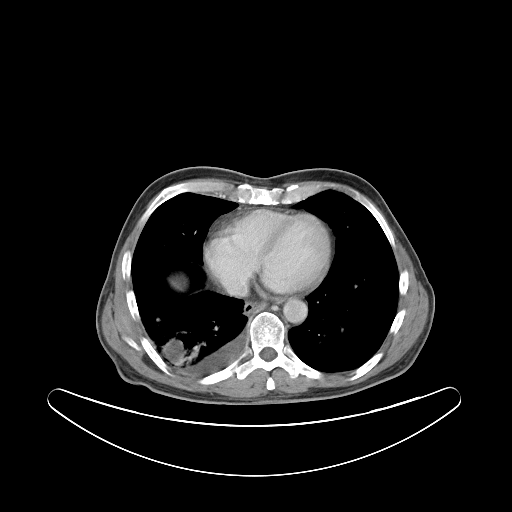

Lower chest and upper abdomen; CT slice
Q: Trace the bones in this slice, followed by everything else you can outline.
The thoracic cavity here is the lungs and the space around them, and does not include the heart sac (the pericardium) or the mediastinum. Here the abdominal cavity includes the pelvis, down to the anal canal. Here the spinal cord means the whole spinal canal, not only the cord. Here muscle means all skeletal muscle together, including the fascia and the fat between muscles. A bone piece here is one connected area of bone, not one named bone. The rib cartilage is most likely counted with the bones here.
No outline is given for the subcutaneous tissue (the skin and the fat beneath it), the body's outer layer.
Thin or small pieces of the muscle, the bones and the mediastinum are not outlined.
A: Outlined structures:
bones 1: 263 311; 275 314; 282 321; 292 350; 307 365; 322 372; 322 378; 308 378; 303 374; 291 378; 286 370; 277 366; 269 372; 256 368; 243 379; 238 379; 234 374; 215 383; 199 383; 199 379; 225 368; 244 351; 250 343; 247 322, around a hole outlined by 266 347; 269 347; 270 348; 272 348; 276 352; 276 356; 275 357; 274 357; 272 359; 271 359; 270 360; 265 360; 263 358; 262 358; 260 356; 260 352; 264 348; 265 348
bones 2: 191 180; 221 181; 230 186; 248 183; 268 189; 286 187; 292 183; 301 186; 317 183; 333 186; 294 203; 275 205; 237 202; 236 197; 216 192; 208 194; 186 191; 161 203; 150 214; 141 230; 138 224; 139 219; 156 195; 167 186
bones 3: 352 189; 357 190; 362 195; 369 200; 376 207; 376 208; 383 216; 389 228; 392 232; 393 238; 394 239; 394 242; 395 243; 395 248; 394 249; 392 248; 381 226; 374 216; 362 204; 352 197; 352 193; 351 192; 351 190
bones 4: 124 336; 127 336; 131 338; 140 347; 141 346; 140 338; 142 336; 148 337; 151 342; 151 344; 161 356; 163 360; 168 365; 168 369; 172 373; 173 376; 171 376; 161 370; 150 358; 142 347; 139 350; 137 350; 129 345; 123 339
bones 5: 378 351; 382 351; 383 352; 383 355; 381 357; 381 358; 379 360; 379 361; 371 369; 370 369; 363 375; 362 375; 353 380; 347 380; 347 378; 352 375; 352 372; 355 369; 356 369; 358 367; 359 367; 361 365; 362 365
bones 6: 130 289; 132 289; 133 290; 133 292; 135 296; 135 300; 136 301; 137 308; 138 309; 138 312; 139 313; 141 321; 134 320; 132 318; 131 314; 130 313; 130 311; 128 308; 128 305; 127 304; 127 300; 126 299; 126 291
bones 7: 127 250; 129 250; 132 252; 132 256; 131 257; 131 263; 130 264; 130 279; 129 280; 126 280; 123 278; 123 277; 122 276; 122 271; 121 270; 121 264; 122 263; 122 259; 123 258; 123 255; 124 254; 125 251; 126 251
bones 8: 402 308; 404 308; 405 309; 405 314; 404 315; 404 317; 403 318; 403 320; 402 321; 402 323; 400 327; 398 329; 397 332; 395 334; 393 334; 392 333; 390 334; 388 334; 389 329; 392 324; 392 322; 396 315; 396 313; 397 311
bones 9: 404 269; 406 269; 407 270; 407 271; 408 272; 408 286; 407 287; 407 290; 406 291; 406 293; 404 295; 399 295; 399 273; 400 272; 400 271; 401 271; 402 270; 403 270
muscle 1: 364 195; 384 214; 405 248; 416 278; 428 295; 427 319; 417 340; 399 360; 375 375; 356 384; 314 387; 300 394; 288 395; 273 391; 276 385; 269 374; 265 382; 265 388; 269 391; 266 394; 238 401; 150 379; 136 371; 106 341; 101 325; 103 307; 109 293; 114 291; 114 273; 119 252; 141 214; 137 222; 140 232; 133 251; 124 251; 120 270; 124 280; 131 279; 132 288; 125 291; 130 316; 134 321; 142 323; 147 336; 139 338; 140 346; 127 335; 122 339; 137 351; 142 348; 165 374; 174 376; 169 369; 171 366; 185 376; 200 378; 197 382; 201 385; 215 384; 234 375; 238 380; 243 380; 259 368; 268 373; 277 367; 282 368; 291 379; 303 375; 308 379; 320 380; 324 376; 323 372; 352 370; 347 381; 363 376; 384 355; 382 350; 378 350; 386 336; 395 335; 401 327; 406 309; 398 309; 398 300; 399 296; 407 293; 409 286; 408 270; 404 268; 399 272; 398 269; 393 251; 396 248; 393 232; 381 212
muscle 2: 302 181; 327 181; 328 182; 334 182; 335 183; 340 183; 341 184; 345 184; 353 188; 352 188; 350 190; 351 196; 345 193; 343 191; 337 190; 336 189; 332 189; 331 188; 328 188; 330 187; 333 187; 334 186; 333 184; 329 184; 328 185; 327 184; 323 184; 320 182; 317 182; 316 183; 310 183; 309 184; 302 184; 301 185; 297 183; 297 182; 301 182
muscle 3: 154 196; 155 196; 149 202; 149 203; 147 205; 147 206; 145 208; 145 209; 144 210; 144 208; 145 207; 145 206; 148 203; 148 202
spinal cord: 266 347; 269 347; 270 348; 272 348; 276 352; 276 356; 275 357; 274 357; 272 359; 271 359; 270 360; 265 360; 263 358; 262 358; 260 356; 260 352; 264 348; 265 348
abdominal cavity: 174 270; 181 270; 182 271; 185 272; 185 273; 186 274; 187 274; 190 278; 190 286; 189 287; 189 289; 185 293; 177 293; 176 292; 174 292; 171 289; 170 289; 170 288; 167 285; 167 284; 166 283; 166 281; 165 280; 166 275
torso: 190 166; 215 166; 257 177; 306 168; 335 168; 354 173; 373 185; 417 253; 435 295; 432 325; 412 365; 394 378; 350 395; 268 405; 197 403; 124 381; 102 347; 95 327; 96 305; 111 254; 123 223; 141 192; 156 178
mediastinum 1: 307 294; 308 294; 306 296; 306 300; 309 307; 306 319; 301 324; 291 327; 287 331; 283 321; 275 313; 271 311; 263 310; 248 319; 248 317; 244 313; 244 301; 241 298; 230 296; 280 300; 298 296; 305 296
mediastinum 2: 203 260; 203 269; 206 274; 206 277; 213 289; 218 292; 229 295; 221 294; 220 293; 218 293; 214 291; 211 291; 207 289; 202 289; 203 288; 202 287; 203 286; 203 281; 205 278; 204 273; 201 269; 201 265; 203 263
thoracic cavity 1: 186 192; 207 194; 237 203; 230 211; 220 214; 208 228; 202 244; 200 269; 204 278; 201 289; 243 301; 249 338; 249 343; 233 361; 202 377; 185 375; 169 365; 157 351; 142 322; 131 278; 133 252; 149 217; 161 204, around a hole outlined by 174 270; 181 270; 182 271; 185 272; 185 273; 186 274; 187 274; 190 278; 190 286; 189 287; 189 289; 185 293; 177 293; 176 292; 174 292; 171 289; 170 289; 170 288; 167 285; 167 284; 166 283; 166 281; 165 280; 166 275
thoracic cavity 2: 328 189; 350 196; 373 216; 392 249; 398 270; 397 310; 379 348; 356 368; 334 372; 321 371; 307 364; 296 354; 287 339; 287 332; 307 319; 310 307; 307 296; 323 281; 335 255; 335 235; 332 229; 315 214; 296 208; 295 205
pericardium: 263 205; 305 210; 325 222; 331 230; 331 233; 333 235; 333 257; 329 269; 319 285; 305 295; 298 295; 280 299; 230 295; 214 289; 207 277; 204 269; 203 246; 213 225; 212 224; 224 215; 233 211; 238 206